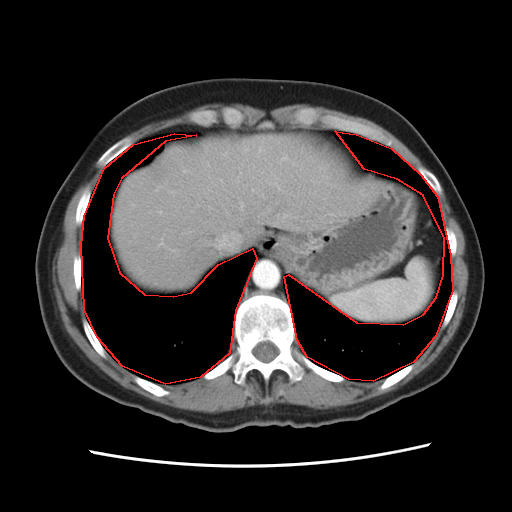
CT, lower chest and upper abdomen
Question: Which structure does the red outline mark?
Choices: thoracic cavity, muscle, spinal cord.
Answer: red: thoracic cavity.
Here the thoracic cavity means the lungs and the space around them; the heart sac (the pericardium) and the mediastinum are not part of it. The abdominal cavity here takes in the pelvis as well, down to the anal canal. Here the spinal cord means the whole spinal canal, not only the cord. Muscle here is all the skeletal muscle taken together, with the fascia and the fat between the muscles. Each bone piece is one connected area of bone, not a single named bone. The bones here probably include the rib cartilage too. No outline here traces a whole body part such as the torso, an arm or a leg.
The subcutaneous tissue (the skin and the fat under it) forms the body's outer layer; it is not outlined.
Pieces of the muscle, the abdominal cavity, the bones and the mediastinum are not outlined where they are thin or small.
{"thoracic_cavity":[[[174,133],[196,135],[165,141],[121,178],[113,194],[107,238],[119,272],[144,294],[173,296],[191,292],[218,264],[252,248],[256,258],[235,310],[229,353],[200,377],[165,384],[122,366],[97,337],[84,309],[81,245],[84,216],[104,168],[133,144]],[[335,131],[356,134],[391,148],[420,174],[437,196],[450,255],[452,290],[435,336],[413,362],[373,381],[348,379],[307,357],[297,340],[284,276],[288,274],[356,322],[403,324],[423,314],[436,297],[443,275],[444,238],[423,195],[397,179],[364,169]]],"muscle":[[[95,162],[103,169],[93,189],[86,186],[82,191],[74,215],[76,225],[81,226],[80,253],[73,257],[72,274],[75,289],[82,295],[82,328],[103,359],[108,354],[134,374],[136,384],[157,397],[170,393],[159,384],[201,377],[211,380],[230,369],[240,386],[251,370],[266,383],[274,371],[281,370],[292,384],[302,379],[305,368],[334,383],[383,379],[378,386],[381,391],[399,382],[438,331],[448,325],[459,298],[451,270],[458,241],[445,225],[437,195],[442,193],[441,184],[465,239],[468,283],[460,323],[438,356],[413,378],[395,390],[357,403],[329,409],[278,403],[206,413],[152,400],[122,386],[86,356],[65,330],[53,291],[52,261],[62,241],[65,211]],[[209,103],[241,103],[264,109],[267,111],[286,105],[307,103],[363,117],[389,131],[416,155],[426,167],[419,166],[417,169],[415,169],[392,148],[394,146],[394,140],[378,128],[355,119],[350,119],[334,114],[322,114],[314,107],[303,107],[296,109],[292,113],[293,122],[300,126],[294,127],[288,125],[274,126],[272,123],[268,121],[263,122],[258,127],[238,126],[244,121],[245,116],[241,111],[234,107],[224,107],[220,111],[221,119],[226,125],[217,125],[216,124],[219,122],[219,113],[217,110],[212,108],[195,110],[192,111],[188,116],[189,120],[195,124],[182,124],[169,127],[135,142],[135,136],[132,133],[129,133],[132,131],[150,122],[175,116],[198,106]]],"spinal_cord":[[[265,341],[269,341],[270,342],[273,343],[274,344],[274,345],[278,349],[278,354],[272,360],[271,360],[269,362],[263,362],[262,361],[259,360],[253,354],[253,353],[252,352],[252,350],[253,349],[253,348],[258,343],[259,343],[260,342],[264,342]]],"abdominal_cavity":[[[216,125],[321,129],[364,170],[397,180],[423,196],[443,238],[442,275],[429,307],[398,324],[356,321],[304,287],[256,247],[218,263],[187,293],[148,294],[130,284],[116,264],[108,238],[110,208],[120,181],[131,170],[147,164],[165,142],[190,138]]],"bones":[{"outer":[[253,294],[275,295],[286,300],[301,351],[316,365],[345,379],[330,381],[306,367],[301,379],[292,383],[281,369],[274,370],[267,382],[257,370],[251,369],[242,385],[234,381],[231,368],[214,378],[203,378],[237,346],[233,337],[236,310],[240,302]],"hole":[[265,341],[269,341],[270,342],[273,343],[274,344],[274,345],[278,349],[278,354],[272,360],[271,360],[269,362],[263,362],[262,361],[259,360],[253,354],[253,353],[252,352],[252,350],[253,349],[253,348],[258,343],[259,343],[260,342],[264,342]]},[[303,108],[314,108],[322,115],[334,115],[350,120],[355,120],[369,125],[378,129],[389,138],[391,138],[393,140],[393,146],[390,147],[384,145],[367,139],[356,133],[325,128],[319,120],[309,126],[301,126],[298,123],[294,122],[293,113],[296,110]],[[129,134],[132,134],[134,136],[134,142],[130,146],[126,148],[118,155],[117,155],[113,159],[112,159],[104,167],[98,167],[96,166],[96,162],[97,160],[100,157],[100,156],[108,148],[109,148],[113,144],[117,142],[120,139],[121,139],[123,137]],[[207,109],[212,109],[213,110],[215,110],[217,111],[218,113],[218,122],[217,123],[213,125],[211,125],[210,126],[202,126],[201,125],[198,125],[190,120],[190,118],[189,116],[192,112],[194,112],[195,111],[200,111],[201,110],[206,110]],[[83,318],[86,318],[89,325],[91,327],[96,337],[98,339],[98,340],[106,351],[107,353],[107,355],[105,358],[103,358],[95,350],[95,349],[92,346],[91,343],[89,341],[84,331],[84,329],[83,328],[83,325],[82,324],[82,319]],[[224,108],[234,108],[235,109],[238,110],[240,112],[241,112],[243,114],[243,115],[244,116],[244,118],[243,119],[243,121],[239,125],[238,125],[236,127],[231,127],[230,126],[227,125],[223,121],[223,120],[222,119],[222,117],[221,116],[221,111]],[[134,375],[139,376],[141,378],[143,378],[146,380],[148,380],[151,382],[153,382],[156,384],[158,384],[160,385],[163,388],[169,391],[169,393],[167,395],[164,395],[163,396],[157,396],[149,392],[147,390],[141,387],[137,383],[135,382],[134,380]],[[86,187],[89,187],[90,188],[91,190],[91,194],[90,195],[89,201],[87,204],[87,206],[86,207],[86,209],[83,216],[82,223],[81,225],[77,225],[76,221],[75,220],[76,209],[77,208],[77,205],[78,204],[79,199],[83,191]],[[412,363],[413,363],[413,367],[412,368],[412,369],[403,378],[402,378],[396,383],[389,386],[385,389],[383,389],[382,390],[379,389],[379,386],[383,382],[383,381],[385,378],[388,377],[390,375],[397,372],[399,370],[402,369],[404,367],[405,367]],[[419,167],[423,167],[424,168],[426,168],[434,174],[434,175],[437,178],[437,179],[440,184],[440,186],[441,187],[441,193],[440,194],[437,194],[435,192],[435,191],[431,187],[431,186],[425,180],[425,179],[417,170]],[[453,290],[456,291],[458,295],[457,302],[456,303],[456,305],[455,306],[453,314],[450,320],[448,322],[447,325],[444,328],[440,328],[443,322],[443,320],[444,319],[444,317],[447,310],[447,307],[449,303],[449,300],[450,299],[450,297]],[[77,253],[79,253],[80,254],[80,259],[81,260],[81,290],[80,291],[78,291],[76,289],[76,287],[75,286],[75,280],[74,279],[74,275],[73,274],[73,260],[74,259],[74,257],[75,256],[75,255]],[[446,227],[450,228],[454,232],[456,236],[456,240],[457,241],[457,245],[456,246],[456,251],[455,252],[454,256],[452,257],[451,257],[451,255],[450,254],[449,246],[448,245],[448,242],[447,241],[447,238],[446,237],[446,232],[445,231],[445,228]]],"mediastinum":[[[256,248],[261,252],[269,255],[278,264],[282,266],[283,270],[285,272],[285,274],[283,276],[283,288],[284,289],[284,293],[286,299],[282,298],[275,294],[269,294],[268,293],[253,293],[240,301],[241,294],[244,287],[246,278],[257,258],[257,250]],[[322,129],[335,130],[333,133],[333,135],[339,141],[343,143],[347,147],[349,151],[352,154],[353,157],[352,157],[350,153],[348,152],[348,150],[346,149],[343,145],[336,141],[336,140],[332,137],[330,137],[328,135],[326,135],[325,133],[322,132]]]}